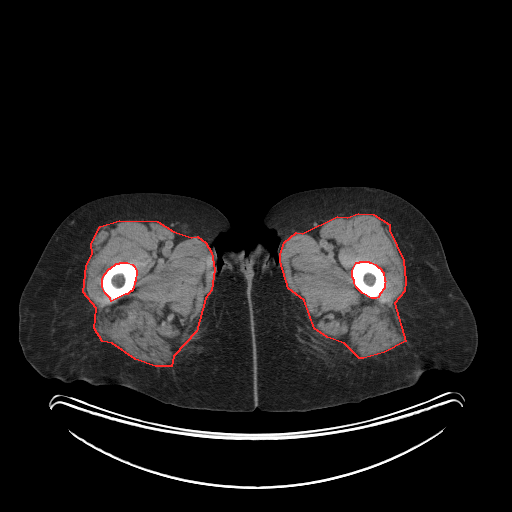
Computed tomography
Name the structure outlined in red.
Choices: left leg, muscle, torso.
red: muscle.
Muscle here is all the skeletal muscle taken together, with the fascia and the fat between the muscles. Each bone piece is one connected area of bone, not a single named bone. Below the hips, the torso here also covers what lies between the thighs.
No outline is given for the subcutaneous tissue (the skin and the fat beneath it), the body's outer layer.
Outlined structures:
muscle 1: 119,220 157,221 173,231 191,237 197,236 205,242 211,252 214,269 211,290 205,298 196,331 173,356 171,366 155,366 135,359 112,343 102,341 94,328 96,308 83,292 86,265 92,254 91,243 100,226; inner edge: 120,262 127,262 132,264 134,266 136,271 135,281 134,282 133,288 131,291 130,291 127,294 125,294 111,301 110,298 105,293 102,287 102,279 104,274 109,268 110,268 116,263 119,263
muscle 2: 358,213 373,214 389,224 389,230 403,260 405,281 404,291 394,303 405,341 384,352 363,358 359,358 344,343 327,337 314,328 304,300 288,288 280,261 280,254 284,242 296,232 302,233 337,216 347,217; inner edge: 360,261 368,261 369,262 371,262 375,264 378,267 379,267 383,272 384,280 385,281 384,283 384,288 379,294 378,297 376,298 371,298 362,293 356,287 354,283 354,280 352,277 352,270 356,262 359,262
torso: 258,242 264,245 269,250 270,254 273,257 273,264 261,283 254,298 253,313 253,311 249,307 237,300 224,286 219,275 219,268 223,264 222,255 225,249 237,251 241,248 244,248 248,252 250,248
right leg: 128,192 194,197 213,205 229,221 229,231 221,233 213,244 221,283 250,310 256,382 254,410 186,408 163,403 120,385 93,385 83,380 63,382 43,377 25,359 18,341 19,299 51,235 79,206 100,197
bones 1: 120,262 127,262 132,264 134,266 136,271 135,281 134,282 133,288 131,291 130,291 127,294 125,294 111,301 110,298 105,293 102,287 102,279 104,274 109,268 110,268 116,263 119,263
bones 2: 360,261 368,261 369,262 371,262 375,264 378,267 379,267 383,272 384,280 385,281 384,283 384,288 379,294 378,297 376,298 371,298 362,293 356,287 354,283 354,280 352,277 352,270 356,262 359,262
left leg: 332,186 389,191 407,200 428,219 475,317 477,351 461,372 428,369 412,386 357,403 308,411 264,411 256,408 251,310 254,313 258,291 274,258 278,258 279,239 275,231 264,226 263,218 276,202 292,193